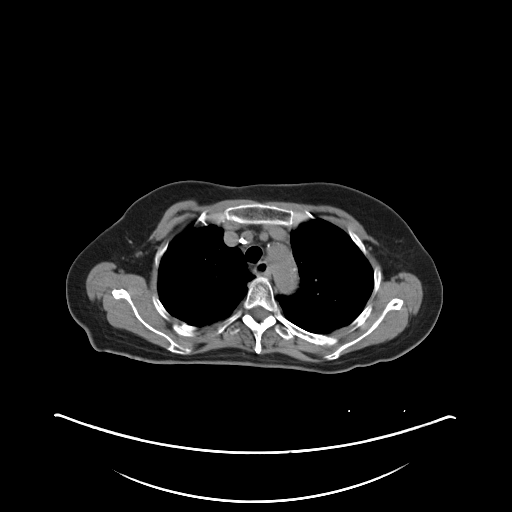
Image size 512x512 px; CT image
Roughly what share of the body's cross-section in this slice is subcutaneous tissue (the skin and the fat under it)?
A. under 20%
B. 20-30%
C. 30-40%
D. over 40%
C. 30-40%
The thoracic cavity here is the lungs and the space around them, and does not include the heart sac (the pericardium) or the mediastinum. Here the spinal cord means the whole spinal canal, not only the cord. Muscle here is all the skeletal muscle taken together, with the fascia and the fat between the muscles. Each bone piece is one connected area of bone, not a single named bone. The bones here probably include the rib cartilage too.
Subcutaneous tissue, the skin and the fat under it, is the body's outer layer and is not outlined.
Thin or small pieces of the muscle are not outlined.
Outlines (x, y in pixels):
muscle 1: [[153,259],[157,294],[151,296],[151,302],[164,319],[172,316],[180,321],[171,325],[176,334],[194,337],[198,327],[223,320],[214,333],[228,330],[234,335],[240,327],[230,326],[239,320],[253,334],[254,352],[226,347],[187,354],[192,349],[148,323],[122,287],[111,290],[113,298],[124,299],[134,316],[168,345],[165,349],[110,325],[105,312],[87,296],[85,281],[89,271],[96,264],[109,261],[126,273],[147,279]]
muscle 2: [[401,271],[410,272],[420,280],[423,297],[418,312],[409,318],[408,325],[392,339],[340,356],[346,348],[370,334],[389,311],[402,307],[404,301],[393,297],[365,331],[325,354],[323,358],[326,361],[303,361],[277,352],[261,354],[262,335],[271,327],[285,340],[298,337],[318,346],[336,344],[339,338],[329,334],[348,325],[352,332],[362,327],[370,316],[373,306],[367,302],[377,293],[383,273],[384,279],[388,280]]
muscle 3: [[236,198],[252,199],[258,201],[238,203],[227,206],[222,210],[209,213],[205,209],[195,219],[195,225],[192,223],[170,241],[168,239],[163,241],[156,250],[155,243],[148,240],[164,212],[175,202],[186,199],[195,199],[200,203],[210,203],[224,199]]
muscle 4: [[263,201],[327,204],[343,209],[352,215],[363,226],[367,233],[378,241],[379,244],[373,246],[372,252],[381,266],[378,263],[371,265],[367,257],[368,251],[364,242],[350,227],[348,227],[346,231],[333,222],[316,216],[306,208],[293,209]]
torso: [[186,179],[234,186],[326,181],[353,187],[383,201],[405,220],[433,259],[438,271],[443,287],[443,302],[433,328],[419,344],[395,359],[331,374],[248,365],[156,364],[95,350],[67,306],[65,281],[70,265],[80,251],[115,222],[136,199],[158,186]]
spinal cord: [[257,306],[259,306],[260,307],[261,307],[262,308],[263,308],[267,312],[267,314],[266,315],[266,316],[263,319],[262,319],[260,321],[258,321],[256,319],[255,319],[253,317],[253,316],[251,313],[251,310],[253,308],[254,308]]
mediastinum: [[226,222],[242,225],[283,225],[290,228],[296,227],[290,232],[289,237],[299,277],[299,286],[295,293],[292,295],[275,294],[272,284],[267,277],[262,275],[255,276],[248,269],[245,258],[240,249],[236,246],[226,245],[223,240],[224,230],[219,225]]
thoracic cavity 1: [[316,217],[325,219],[345,231],[352,242],[367,258],[372,268],[372,290],[364,307],[347,325],[337,328],[328,334],[306,330],[289,320],[283,314],[275,297],[275,295],[279,294],[292,296],[299,288],[300,277],[290,241],[291,232],[301,223],[313,220]]
thoracic cavity 2: [[192,224],[194,226],[214,224],[221,227],[223,230],[222,240],[225,245],[239,249],[244,258],[247,269],[254,275],[254,277],[246,284],[247,291],[244,298],[229,316],[202,326],[188,324],[171,315],[159,298],[157,285],[160,262],[170,242]]
bones 1: [[257,276],[267,278],[285,318],[306,331],[335,336],[338,341],[329,346],[298,336],[285,339],[271,326],[262,333],[261,352],[256,353],[254,334],[239,319],[229,326],[239,327],[238,332],[230,334],[225,329],[216,334],[217,327],[245,298],[247,284]], around a hole outlined by [[257,306],[259,306],[260,307],[261,307],[262,308],[263,308],[267,312],[267,314],[266,315],[266,316],[263,319],[262,319],[260,321],[258,321],[256,319],[255,319],[253,317],[253,316],[251,313],[251,310],[253,308],[254,308]]
bones 2: [[252,202],[261,202],[293,210],[306,209],[315,217],[313,219],[301,222],[297,226],[290,227],[283,224],[242,224],[233,221],[222,222],[218,225],[214,223],[209,223],[207,225],[196,225],[195,224],[196,219],[205,210],[209,214],[222,211],[230,206]]
bones 3: [[121,288],[126,290],[129,293],[139,315],[148,324],[166,334],[178,344],[190,348],[191,351],[186,354],[174,353],[169,351],[167,349],[169,342],[163,336],[157,334],[147,328],[135,316],[131,306],[124,298],[118,299],[114,298],[112,295],[112,290]]
bones 4: [[393,298],[399,298],[403,301],[403,303],[399,309],[391,309],[389,310],[386,313],[379,324],[370,333],[359,341],[346,347],[342,350],[338,358],[332,360],[328,360],[324,358],[325,355],[333,352],[342,344],[353,340],[365,332],[381,314],[387,303]]
bones 5: [[367,303],[370,303],[372,306],[372,309],[371,310],[371,312],[370,313],[369,316],[366,319],[365,322],[363,324],[363,325],[362,326],[357,327],[354,330],[351,331],[350,330],[350,326],[349,325],[349,324],[363,310],[363,309],[365,307],[365,306]]
bones 6: [[181,322],[184,322],[188,325],[192,325],[193,326],[196,326],[197,327],[197,329],[195,331],[195,335],[194,336],[184,336],[183,335],[180,335],[176,333],[173,330],[172,328],[172,325],[174,323],[176,323],[177,324],[180,324]]
bones 7: [[375,264],[378,264],[381,267],[381,270],[382,271],[382,277],[381,278],[381,281],[379,284],[379,287],[376,293],[372,297],[371,297],[371,294],[372,293],[372,291],[373,290],[373,286],[374,285],[374,281],[373,280],[373,268],[372,266],[373,266]]
bones 8: [[154,294],[156,294],[158,296],[158,298],[159,300],[161,302],[163,306],[166,309],[166,310],[169,313],[170,315],[168,319],[166,319],[164,318],[157,311],[157,310],[155,308],[152,302],[152,296]]
bones 9: [[348,228],[350,228],[352,230],[352,231],[353,232],[354,232],[363,242],[363,243],[364,244],[364,246],[367,251],[367,255],[366,256],[363,254],[363,253],[361,251],[361,250],[353,242],[353,241],[351,239],[350,236],[347,232],[347,229]]
bones 10: [[167,240],[168,240],[169,243],[167,246],[167,248],[165,252],[163,254],[163,255],[160,259],[158,268],[156,269],[154,265],[154,257],[155,256],[155,253],[157,249],[160,246],[160,245],[163,242]]